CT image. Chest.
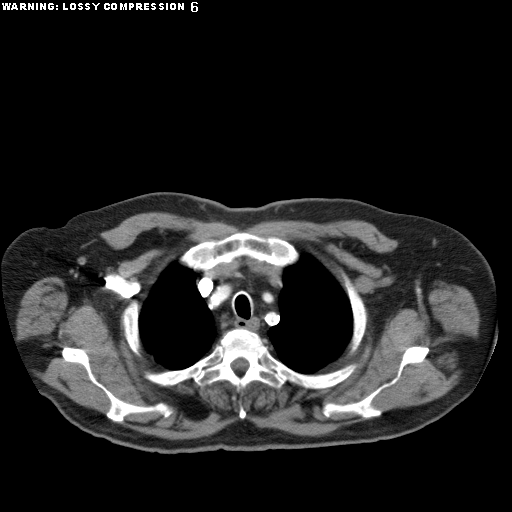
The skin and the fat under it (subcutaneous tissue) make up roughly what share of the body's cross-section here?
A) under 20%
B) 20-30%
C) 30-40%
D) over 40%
C) 30-40%
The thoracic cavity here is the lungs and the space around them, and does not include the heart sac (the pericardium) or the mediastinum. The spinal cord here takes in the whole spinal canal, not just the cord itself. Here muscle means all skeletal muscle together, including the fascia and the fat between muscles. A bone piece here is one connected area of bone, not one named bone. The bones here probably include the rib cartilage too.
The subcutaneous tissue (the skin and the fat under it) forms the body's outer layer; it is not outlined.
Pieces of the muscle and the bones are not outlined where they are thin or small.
The mediastinum is outlined by 240,257 248,257 259,262 265,262 283,268 282,287 278,297 279,321 267,330 267,339 262,338 256,331 244,327 234,327 228,329 222,335 218,335 213,314 199,292 195,282 196,272 206,271 221,264 233,263. The left arm is outlined by 469,239 483,254 488,261 491,267 494,276 495,283 496,284 496,294 497,295 497,315 498,316 498,334 493,348 493,351 491,350 481,336 475,324 472,315 472,312 467,299 467,257 468,256 468,245 469,244. The muscle is outlined by 149,211 236,226 268,219 373,224 398,241 388,253 387,273 355,275 377,332 399,309 425,302 436,280 464,286 475,299 480,322 476,338 457,344 462,377 436,399 383,413 372,404 376,395 430,351 414,344 405,348 389,381 357,401 322,406 327,418 334,413 373,418 323,435 236,421 209,435 167,439 118,423 137,413 167,418 174,412 170,405 117,397 95,377 86,351 65,345 62,358 82,365 109,400 104,415 78,404 33,373 32,368 42,368 37,360 42,349 35,340 17,337 24,292 48,276 63,280 70,306 92,302 117,336 121,321 132,352 140,357 143,348 165,369 143,372 160,386 227,381 241,393 258,381 275,389 287,382 324,389 357,367 351,362 328,371 362,341 367,324 362,296 342,268 342,287 317,259 281,237 240,230 196,243 161,271 140,309 136,299 128,304 137,286 121,283 119,252 99,233; inner edge: 240,404 243,407 243,408 245,410 245,412 246,413 246,414 245,415 245,417 243,419 241,419 239,417 239,415 238,414 238,412 239,411 239,406 240,405. The right arm is outlined by 38,226 45,226 56,229 61,240 61,264 58,273 56,286 46,306 30,330 16,344 10,328 10,324 6,312 6,307 4,303 4,296 2,289 2,274 0,270 0,262 3,253 7,246 21,232 29,228. The spinal cord is outlined by 238,358 243,358 244,359 245,359 248,362 248,367 246,369 246,370 244,372 243,372 242,373 237,373 236,372 235,372 233,370 233,369 231,367 231,364 232,363 232,362 233,361 234,361 236,359 237,359. The bones appear in 6 outlined pieces: piece 1: 234,328 256,332 275,358 298,373 326,374 351,363 356,367 344,380 324,388 306,388 287,381 275,388 258,380 249,382 241,392 227,380 203,386 192,379 160,385 146,379 145,371 189,367 209,354 223,334; inner edge: 238,358 243,358 244,359 245,359 248,362 248,367 246,369 246,370 244,372 243,372 242,373 237,373 236,372 235,372 233,370 233,369 231,367 231,364 232,363 232,362 233,361 234,361 236,359 237,359; piece 2: 240,231 264,237 277,237 290,243 299,252 299,258 293,264 282,268 265,261 259,261 248,256 240,256 237,257 233,262 221,263 206,270 195,271 182,265 179,263 177,259 189,248 196,244 208,240 221,239; piece 3: 65,346 83,349 88,356 90,369 94,377 117,398 139,406 164,402 173,409 173,412 167,417 158,411 147,411 130,413 121,422 109,419 105,415 110,407 108,396 90,380 82,364 66,361 63,358 62,349; piece 4: 414,345 426,346 429,351 422,361 406,364 399,378 393,384 383,388 375,395 371,404 382,411 381,415 365,418 354,412 334,412 329,417 323,414 322,408 326,403 346,404 357,402 393,379 397,374 406,348; piece 5: 339,268 342,269 349,277 357,292 361,296 366,310 366,324 365,325 365,330 363,336 359,345 355,351 351,354 349,353 348,344 352,336 353,316 352,315 352,310 348,296 343,287 343,279 340,273; piece 6: 134,300 137,301 138,307 139,308 139,313 138,314 138,331 139,332 139,337 142,346 140,352 141,353 140,356 135,354 130,348 124,334 124,326 122,322 122,317 125,308. The torso is outlined by 154,191 194,194 230,207 300,197 353,198 431,218 460,231 468,238 466,299 492,352 475,387 448,413 421,429 375,442 163,454 115,444 81,430 40,393 16,345 34,326 57,286 62,240 56,227 78,213. The thoracic cavity appears in 2 outlined pieces: piece 1: 300,252 312,256 333,276 344,290 351,310 352,330 347,347 343,353 334,361 326,373 302,373 290,368 271,353 268,346 264,343 263,339 268,339 268,330 280,321 279,297 283,287 284,268 295,264 300,258; piece 2: 174,260 177,260 179,264 196,273 194,280 196,288 204,299 212,314 217,335 221,336 209,353 191,365 180,369 166,369 157,363 153,357 144,349 142,345 139,331 139,314 142,305 148,296 152,286 162,271.